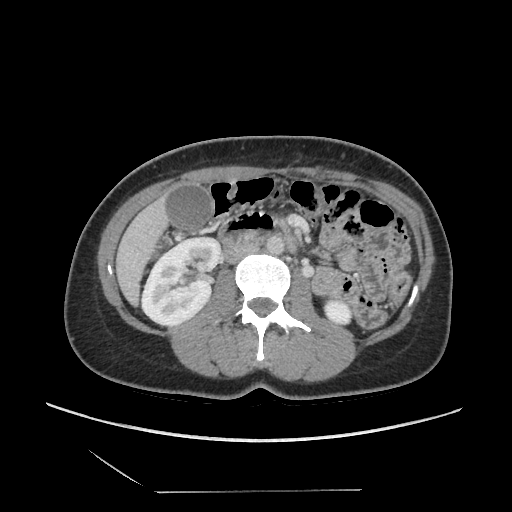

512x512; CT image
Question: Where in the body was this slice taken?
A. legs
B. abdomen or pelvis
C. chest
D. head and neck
Answer: B. abdomen or pelvis
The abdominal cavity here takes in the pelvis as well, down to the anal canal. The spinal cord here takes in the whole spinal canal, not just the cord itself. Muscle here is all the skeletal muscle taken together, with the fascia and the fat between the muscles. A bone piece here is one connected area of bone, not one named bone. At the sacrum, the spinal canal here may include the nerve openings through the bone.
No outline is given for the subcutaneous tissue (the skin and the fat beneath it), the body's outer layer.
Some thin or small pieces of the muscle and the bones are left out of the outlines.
The spinal cord is outlined by (255, 298) (268, 298) (269, 299) (270, 299) (273, 302) (274, 302) (276, 304) (276, 307) (272, 311) (271, 311) (268, 314) (267, 314) (265, 316) (263, 316) (262, 317) (261, 316) (259, 316) (252, 309) (251, 309) (249, 306) (249, 302). The bones are outlined by (256, 253) (265, 253) (285, 262) (291, 278) (283, 306) (291, 316) (311, 329) (308, 332) (294, 326) (287, 334) (272, 323) (263, 336) (264, 358) (261, 361) (256, 360) (256, 328) (250, 323) (243, 324) (241, 317) (235, 316) (243, 302) (235, 282) (235, 267) (246, 255), around a hole outlined by (255, 298) (268, 298) (269, 299) (270, 299) (273, 302) (274, 302) (276, 304) (276, 307) (272, 311) (271, 311) (268, 314) (267, 314) (265, 316) (263, 316) (262, 317) (261, 316) (259, 316) (252, 309) (251, 309) (249, 306) (249, 302). The torso is outlined by (252, 135) (322, 136) (358, 144) (400, 165) (423, 188) (443, 226) (453, 268) (449, 338) (427, 374) (401, 387) (337, 397) (295, 400) (256, 388) (237, 398) (213, 399) (116, 383) (74, 353) (63, 320) (65, 287) (78, 238) (101, 200) (129, 172) (162, 153) (203, 140). The abdominal cavity is outlined by (273, 173) (354, 186) (405, 216) (415, 242) (416, 278) (390, 324) (357, 336) (328, 321) (317, 312) (306, 277) (265, 252) (246, 254) (234, 271) (222, 267) (207, 304) (178, 325) (156, 328) (128, 309) (119, 293) (114, 254) (133, 216) (177, 184). The muscle is outlined by (223, 165) (245, 165) (266, 168) (297, 167) (298, 168) (313, 168) (314, 169) (348, 171) (363, 177) (383, 181) (391, 184) (419, 203) (425, 214) (426, 222) (431, 235) (434, 251) (434, 263) (431, 277) (427, 287) (421, 296) (417, 308) (413, 313) (410, 321) (405, 327) (398, 333) (386, 339) (366, 346) (349, 366) (334, 377) (331, 377) (324, 381) (318, 382) (296, 383) (284, 381) (275, 377) (267, 371) (261, 369) (257, 369) (241, 377) (231, 379) (216, 379) (200, 375) (186, 368) (178, 361) (173, 353) (170, 344) (165, 339) (153, 334) (145, 333) (126, 323) (120, 317) (114, 307) (105, 298) (98, 276) (97, 269) (96, 257) (101, 233) (113, 213) (130, 196) (153, 183) (179, 175) (189, 170) (210, 166) (222, 166) with holes at (273, 173) (354, 186) (401, 212) (417, 254) (411, 306) (357, 336) (317, 312) (295, 269) (283, 306) (311, 329) (287, 334) (272, 323) (261, 361) (256, 328) (235, 316) (243, 295) (229, 267) (207, 304) (178, 325) (156, 328) (128, 309) (114, 254) (133, 216) (177, 184) and at (108, 264) (110, 264) (111, 265) (111, 266) (112, 267) (112, 270) (113, 271) (113, 273) (112, 274) (112, 275) (111, 275) (110, 276) (108, 274) (108, 272) (107, 271) (107, 265).